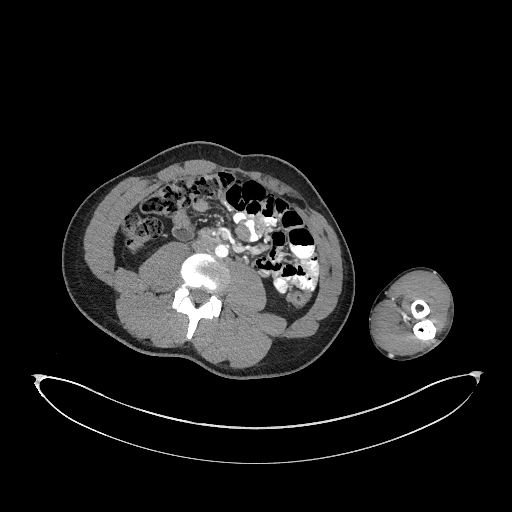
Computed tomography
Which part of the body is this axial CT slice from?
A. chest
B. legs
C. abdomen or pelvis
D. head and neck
Answer: C. abdomen or pelvis
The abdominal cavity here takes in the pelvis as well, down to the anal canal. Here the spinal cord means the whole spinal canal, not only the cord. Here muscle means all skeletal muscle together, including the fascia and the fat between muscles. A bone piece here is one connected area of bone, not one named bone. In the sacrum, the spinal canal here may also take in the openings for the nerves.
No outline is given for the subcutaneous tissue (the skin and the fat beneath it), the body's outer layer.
The torso is outlined by (231, 379) (286, 375) (316, 360) (335, 339) (349, 315) (355, 295) (355, 271) (347, 242) (333, 214) (312, 183) (294, 165) (276, 156) (239, 153) (214, 142) (184, 142) (112, 177) (81, 202) (65, 231) (61, 271) (75, 306) (110, 336) (138, 352) (183, 357) (214, 374). The spinal cord is outlined by (196, 304) (200, 304) (201, 303) (203, 303) (208, 299) (208, 298) (210, 295) (206, 291) (206, 290) (204, 288) (203, 288) (202, 287) (201, 288) (195, 288) (194, 289) (191, 289) (190, 290) (190, 297) (191, 298) (191, 299) (192, 300) (192, 301) (193, 301). The abdominal cavity is outlined by (289, 322) (305, 313) (316, 296) (316, 246) (294, 208) (266, 187) (241, 174) (207, 173) (181, 178) (155, 189) (122, 218) (113, 245) (116, 268) (137, 271) (161, 246) (171, 241) (185, 243) (192, 252) (210, 252) (221, 262) (232, 260) (251, 267) (264, 284) (263, 310). The bones appear in 2 outlined pieces: piece 1: (187, 340) (191, 339) (200, 318) (211, 319) (217, 317) (221, 309) (221, 299) (218, 293) (228, 282) (229, 270) (224, 263) (218, 261) (210, 253) (192, 253) (182, 262) (180, 267) (180, 275) (183, 282) (176, 288) (171, 306) (177, 311) (186, 314) (189, 318) (186, 334); inner edge: (196, 304) (200, 304) (201, 303) (203, 303) (208, 299) (208, 298) (210, 295) (206, 291) (206, 290) (204, 288) (203, 288) (202, 287) (201, 288) (195, 288) (194, 289) (191, 289) (190, 290) (190, 297) (191, 298) (191, 299) (192, 300) (192, 301) (193, 301); piece 2: (422, 340) (432, 339) (435, 335) (435, 331) (436, 329) (433, 323) (431, 322) (427, 317) (427, 315) (430, 312) (430, 308) (429, 306) (424, 300) (418, 298) (416, 299) (411, 304) (411, 312) (412, 313) (412, 315) (417, 320) (417, 321) (413, 325) (412, 329) (416, 337). The muscle appears in 2 outlined pieces: piece 1: (231, 368) (257, 364) (267, 354) (274, 338) (313, 335) (319, 322) (333, 311) (343, 278) (336, 233) (297, 190) (260, 171) (193, 159) (122, 180) (98, 204) (83, 238) (89, 269) (118, 293) (115, 308) (120, 324) (132, 336) (156, 347) (179, 347) (189, 342) (206, 360), around a hole outlined by (187, 340) (200, 318) (219, 315) (226, 261) (251, 267) (264, 284) (263, 310) (289, 322) (316, 296) (318, 259) (308, 228) (293, 207) (247, 176) (207, 173) (174, 180) (138, 201) (115, 233) (116, 268) (137, 271) (171, 241) (190, 248) (171, 305) (189, 318); piece 2: (394, 355) (410, 355) (419, 351) (422, 351) (436, 341) (437, 337) (447, 324) (450, 298) (445, 286) (435, 275) (430, 272) (417, 270) (405, 274) (398, 279) (386, 291) (382, 300) (375, 308) (375, 312) (373, 316) (374, 337) (377, 343) (383, 349) (387, 352) (391, 352), around a hole outlined by (422, 340) (432, 339) (435, 335) (435, 331) (436, 329) (433, 323) (431, 322) (427, 317) (427, 315) (430, 312) (430, 308) (429, 306) (424, 300) (418, 298) (416, 299) (411, 304) (411, 312) (412, 313) (412, 315) (417, 320) (417, 321) (413, 325) (412, 329) (416, 337). The left arm is outlined by (399, 361) (413, 359) (427, 353) (438, 345) (446, 337) (451, 328) (453, 322) (453, 314) (454, 313) (453, 297) (451, 291) (444, 279) (438, 272) (432, 268) (425, 266) (415, 266) (400, 272) (378, 293) (370, 308) (368, 317) (368, 328) (373, 344) (382, 354) (391, 359).